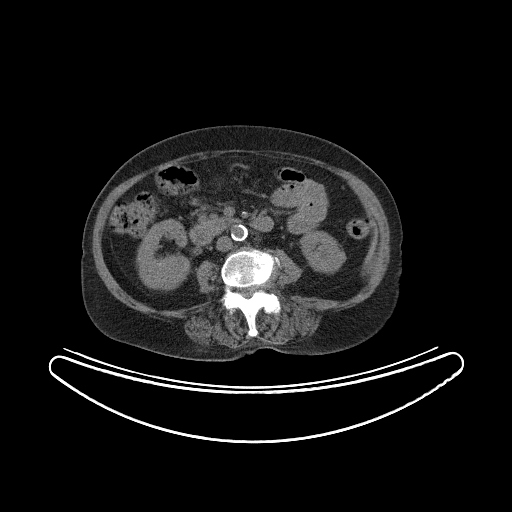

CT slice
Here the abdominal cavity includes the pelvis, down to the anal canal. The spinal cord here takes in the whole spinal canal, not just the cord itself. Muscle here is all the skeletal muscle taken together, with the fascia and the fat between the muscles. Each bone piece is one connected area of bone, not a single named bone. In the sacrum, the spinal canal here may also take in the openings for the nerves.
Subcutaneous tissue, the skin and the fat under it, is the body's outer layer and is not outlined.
The spinal cord is outlined by 247,287 253,287 254,288 254,289 255,290 253,292 253,293 251,295 251,296 250,297 249,297 248,298 247,298 246,297 244,297 239,292 239,291 238,290 239,289 241,289 242,288 246,288. The bones are outlined by 250,248 269,251 277,256 280,262 269,283 270,290 279,300 280,311 277,314 266,313 261,308 257,312 256,336 247,334 248,325 244,314 238,308 230,313 220,300 224,292 220,270 226,257 230,253; inner edge: 247,287 253,287 254,288 254,289 255,290 253,292 253,293 251,295 251,296 250,297 249,297 248,298 247,298 246,297 244,297 239,292 239,291 238,290 239,289 241,289 242,288 246,288. The muscle is outlined by 223,149 250,149 251,150 260,150 261,151 270,150 271,151 284,151 290,153 300,154 301,155 304,155 305,156 308,156 309,157 318,159 325,162 329,165 349,171 363,180 377,196 387,217 389,229 390,230 390,260 387,269 380,283 377,286 374,292 369,297 363,301 357,303 352,307 346,308 338,311 332,311 327,314 325,314 323,316 318,328 314,333 312,335 308,336 301,340 292,341 284,344 271,344 266,341 259,340 257,338 253,338 243,346 240,346 236,349 232,349 231,348 227,350 213,350 209,348 203,348 199,344 192,341 182,331 166,320 154,318 143,312 136,310 126,305 117,299 108,290 105,284 99,276 95,266 94,258 92,253 92,234 93,233 94,223 99,208 106,198 107,195 114,187 123,181 136,174 138,174 145,170 147,170 166,161 171,160 174,158 183,155 186,155 195,152 222,150 with a hole at 227,153 297,161 346,183 371,227 354,293 292,293 303,269 270,248 280,311 261,308 250,336 244,314 220,300 220,267 210,259 195,268 205,299 187,307 158,309 122,287 102,245 116,201 168,165. The torso is outlined by 226,124 281,127 325,138 359,157 387,185 402,224 402,274 395,309 371,338 351,348 320,355 294,355 264,348 230,361 196,361 113,340 92,323 81,295 81,240 88,211 101,188 118,167 143,148 184,131. The abdominal cavity is outlined by 227,153 297,161 329,171 346,183 371,227 354,293 344,299 292,293 288,286 303,269 278,247 230,252 220,269 204,259 195,268 195,277 205,299 187,307 158,309 122,287 105,261 102,245 116,201 168,165.